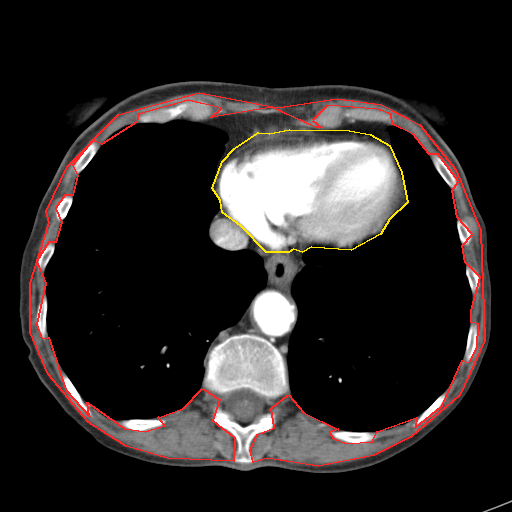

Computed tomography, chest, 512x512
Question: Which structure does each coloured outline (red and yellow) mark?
Answer: red: muscle; yellow: pericardium.
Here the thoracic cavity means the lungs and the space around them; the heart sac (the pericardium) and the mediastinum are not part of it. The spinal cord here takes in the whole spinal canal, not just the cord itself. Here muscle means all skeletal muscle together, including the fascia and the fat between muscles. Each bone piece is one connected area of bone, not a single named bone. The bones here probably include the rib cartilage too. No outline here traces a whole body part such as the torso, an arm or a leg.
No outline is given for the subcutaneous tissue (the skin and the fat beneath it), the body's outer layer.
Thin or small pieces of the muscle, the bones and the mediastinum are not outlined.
The muscle is outlined by 199,92 277,107 337,98 381,104 419,124 455,169 480,230 484,340 459,395 410,437 374,455 318,466 267,458 253,462 250,450 257,434 274,427 271,408 288,394 303,412 338,429 329,432 333,438 347,443 372,441 377,431 416,417 415,427 442,405 462,360 469,362 477,347 478,324 471,322 471,310 480,277 465,262 462,245 472,234 457,217 452,190 458,181 438,154 429,154 413,134 392,124 391,114 377,109 327,105 312,120 321,127 315,127 271,107 211,117 221,108 188,100 138,114 136,122 101,144 92,140 72,165 77,175 72,195 64,195 55,208 61,222 55,242 48,242 36,261 45,283 36,324 41,338 48,337 65,389 89,416 87,402 124,428 145,431 164,425 158,417 183,408 202,388 219,399 212,420 234,437 233,461 167,458 126,446 88,422 48,374 30,332 30,283 49,222 46,211 67,166 118,114. The pericardium is outlined by 289,129 349,130 370,134 389,145 401,172 407,202 389,219 380,234 351,250 311,247 302,252 293,249 288,252 266,252 241,226 222,212 220,200 212,188 222,161 234,148 258,132 269,133. The spinal cord is outlined by 243,388 245,389 249,389 255,392 257,394 263,396 266,400 266,403 263,412 257,418 250,422 247,422 246,423 240,422 234,419 233,416 225,408 224,406 224,402 223,401 223,397 226,393 235,390 239,390. The thoracic cavity appears in 2 outlined pieces: piece 1: 178,118 226,135 208,186 219,200 208,237 225,250 255,252 262,260 266,281 240,318 210,343 201,387 189,402 157,417 114,419 84,400 56,358 47,330 45,270 61,223 72,205 76,178 102,143 126,125; piece 2: 394,125 421,143 452,191 456,229 471,292 470,323 455,375 417,416 376,431 339,429 303,411 290,393 287,357 298,319 292,284 306,265 303,256 308,249 351,251 380,235 390,219 412,203 393,149 390,129. The mediastinum appears in 2 outlined pieces: piece 1: 220,207 221,212 241,227 264,252 305,251 302,256 305,265 291,284 297,319 289,339 286,361 271,342 248,332 231,334 209,349 221,332 241,318 267,281 263,260 255,251 225,249 210,239 209,226; piece 2: 248,113 285,113 302,124 315,128 332,128 344,121 356,120 387,123 393,125 389,129 392,149 387,142 375,135 349,129 289,128 258,131 234,147 221,161 213,179 212,191 209,186 227,135 220,129 196,121. The bones appear in 10 outlined pieces: piece 1: 242,333 260,336 279,351 286,362 289,386 289,393 270,408 275,413 273,427 257,433 251,440 249,450 253,461 250,463 233,460 237,441 227,429 213,420 214,408 221,402 220,399 202,387 208,351 227,337, around a hole outlined by 243,388 245,389 249,389 255,392 257,394 263,396 266,400 266,403 263,412 257,418 250,422 247,422 246,423 240,422 234,419 233,416 225,408 224,406 224,402 223,401 223,397 226,393 235,390 239,390; piece 2: 196,100 202,100 209,103 214,110 217,109 222,110 218,114 214,112 207,119 194,120 189,117 179,116 177,118 165,122 137,122 135,120 135,118 138,115 146,112 156,111 161,108 172,107 183,102 195,101; piece 3: 327,106 338,106 343,110 352,108 377,110 391,115 394,118 394,121 392,123 382,121 368,121 360,119 351,121 350,119 343,117 341,119 341,122 335,126 332,127 331,126 320,126 313,120 317,114 323,108; piece 4: 335,430 345,430 346,431 352,431 353,432 365,432 366,431 370,431 371,432 376,432 377,433 377,437 369,441 365,441 359,443 352,443 340,439 337,439 333,437 330,434 330,432; piece 5: 151,418 162,418 165,420 165,422 164,424 163,424 161,426 157,426 156,427 149,428 145,430 133,430 132,429 129,429 128,428 124,427 122,425 121,425 120,423 120,421 121,420 125,420 126,419 150,419; piece 6: 432,154 435,154 436,155 438,155 445,162 445,163 448,166 448,167 452,172 453,175 455,177 457,181 457,187 455,189 452,189 447,184 447,183 443,179 443,178 440,175 440,174 436,169 430,157 430,155; piece 7: 92,141 95,141 97,143 100,144 100,146 97,150 97,151 95,153 95,154 93,156 93,157 86,165 86,166 78,174 76,174 73,170 73,165 74,163 77,160 79,156 82,153 82,152; piece 8: 44,294 46,295 46,299 47,300 47,311 46,312 46,330 47,331 47,336 46,338 43,339 40,334 40,332 38,328 37,320 36,319 36,314 37,313 37,306 38,305 38,303 40,300 41,296 42,296; piece 9: 63,372 64,372 69,378 69,379 71,381 71,382 73,384 73,385 75,387 75,388 77,390 77,391 89,408 91,412 91,414 90,415 86,413 74,401 74,400 66,389 64,385 64,383 62,380 62,374; piece 10: 444,391 446,393 446,396 445,397 445,399 443,401 443,402 441,404 441,405 429,417 428,417 426,419 425,419 419,424 414,426 413,425 413,424 416,420 416,419 418,417 418,416 422,412 423,412.